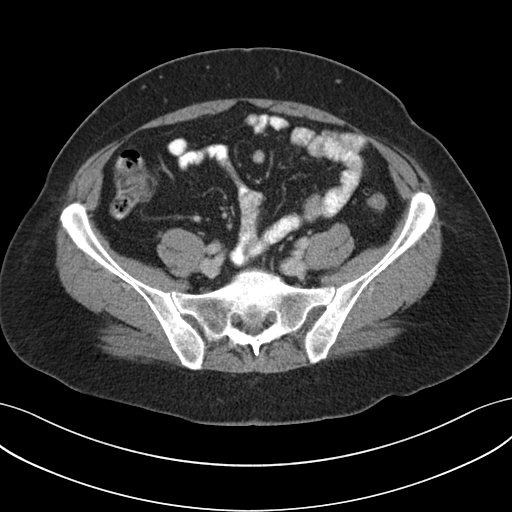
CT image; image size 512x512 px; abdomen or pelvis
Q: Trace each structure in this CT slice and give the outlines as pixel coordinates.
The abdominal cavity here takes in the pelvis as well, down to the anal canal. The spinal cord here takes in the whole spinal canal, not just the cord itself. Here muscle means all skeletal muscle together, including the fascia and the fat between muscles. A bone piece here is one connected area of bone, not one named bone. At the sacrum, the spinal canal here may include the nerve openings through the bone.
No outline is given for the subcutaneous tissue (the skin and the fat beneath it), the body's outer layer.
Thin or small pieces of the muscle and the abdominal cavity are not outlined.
A: The torso is outlined by 255,46 306,51 357,69 394,93 411,117 445,146 486,209 507,259 511,301 496,344 469,368 413,394 388,396 349,416 281,425 196,423 78,392 26,365 0,330 0,266 67,139 108,95 160,63 199,51. The abdominal cavity is outlined by 240,101 369,141 405,202 387,241 348,259 355,241 336,222 309,238 305,254 310,269 327,271 321,286 251,267 200,293 186,279 204,255 192,231 160,235 155,250 172,274 113,249 95,219 106,163 144,129. The bones are outlined by 419,190 435,204 429,227 361,291 314,364 304,340 315,308 257,356 227,336 209,340 193,321 203,360 183,366 144,298 78,248 59,218 82,203 107,253 165,292 213,291 251,268 296,287 338,287 389,250, around a hole outlined by 271,312 275,314 275,320 270,325 265,325 257,334 253,335 247,333 243,329 239,329 234,325 233,316 235,314 239,316 240,320 245,327 254,327 257,325 263,325 263,322 267,315. The spinal cord is outlined by 271,312 275,314 275,320 270,325 265,325 257,334 253,335 247,333 243,329 239,329 234,325 233,316 235,314 239,316 240,320 245,327 254,327 257,325 263,325 263,322 267,315. The muscle appears in 2 outlined pieces: piece 1: 236,97 300,102 339,116 408,153 431,179 441,206 440,264 429,289 407,310 407,331 396,343 321,361 362,291 430,227 437,209 432,196 420,189 411,195 399,234 370,268 338,286 322,286 328,271 308,265 310,238 345,224 354,241 349,260 388,241 406,202 386,159 361,134 240,100 213,114 144,128 102,169 94,219 113,250 172,275 156,250 162,233 182,228 202,240 197,270 185,278 190,291 165,291 130,274 102,245 82,202 72,201 61,210 59,216 58,217 60,221 61,226 76,247 143,298 186,368 131,361 93,345 89,330 97,318 65,291 53,250 54,232 60,208 75,172 96,151 152,119; piece 2: 315,309 321,310 306,331 303,340 304,350 311,365 275,373 256,371 230,373 201,370 206,346 193,322 201,328 203,335 209,341 218,341 227,337 234,346 250,346 253,354 257,357 262,345 299,330 309,314.